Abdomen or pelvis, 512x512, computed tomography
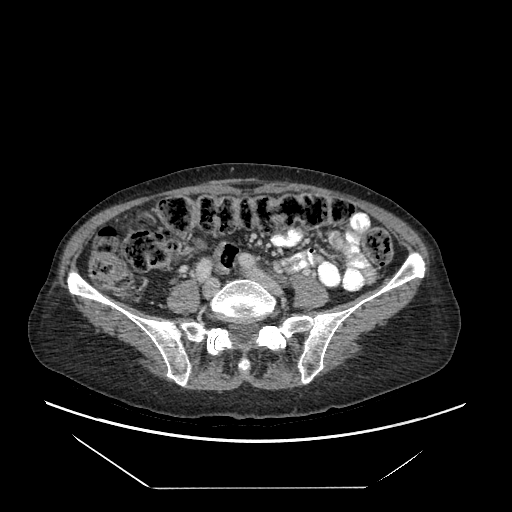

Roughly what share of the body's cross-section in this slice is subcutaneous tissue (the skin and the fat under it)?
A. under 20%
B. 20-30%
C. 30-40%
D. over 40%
C. 30-40%
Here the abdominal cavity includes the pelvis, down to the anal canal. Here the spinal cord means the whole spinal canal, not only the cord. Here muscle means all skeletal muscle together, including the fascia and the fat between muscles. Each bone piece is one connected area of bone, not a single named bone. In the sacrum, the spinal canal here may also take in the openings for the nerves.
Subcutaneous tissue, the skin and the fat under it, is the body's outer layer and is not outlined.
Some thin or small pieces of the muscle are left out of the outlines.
The abdominal cavity is outlined by 285,191 358,207 407,251 376,287 332,307 318,310 326,288 294,274 301,311 276,324 275,297 235,278 209,301 207,328 191,315 201,307 191,280 166,297 182,316 165,318 106,296 78,271 100,226 132,207. The muscle appears in 5 outlined pieces: piece 1: 229,178 257,178 266,181 309,184 349,194 381,207 404,221 422,239 430,254 429,274 422,280 416,294 405,307 361,335 359,339 363,347 356,355 315,378 324,368 325,354 334,334 352,313 383,293 425,276 426,261 418,251 412,250 408,253 382,222 360,207 332,195 309,191 285,190 257,194 178,193 132,206 99,226 80,254 77,269 71,268 67,272 65,282 70,294 109,306 143,331 158,350 166,367 166,377 177,385 163,380 133,362 140,354 137,349 95,327 75,307 70,295 60,287 57,281 61,256 72,235 86,221 104,209 142,196 210,180; piece 2: 303,332 307,335 296,363 302,386 263,389 243,382 230,390 183,388 192,372 183,335 195,343 205,340 206,351 213,356 224,349 238,350 241,356 237,367 247,372 251,367 247,356 250,350 284,349 287,339; piece 3: 298,274 313,277 325,288 328,294 328,300 316,309 318,311 332,308 373,290 393,275 378,290 347,308 333,312 319,312 315,315 310,315 304,313 299,314 298,313 302,310 293,306 294,290 290,285 290,278; piece 4: 184,281 191,281 197,286 199,290 200,307 195,313 192,313 190,315 194,319 181,321 177,325 174,320 169,319 172,319 176,317 182,317 183,315 179,313 175,313 167,307 166,305 167,304 167,297 173,287; piece 5: 110,299 112,299 115,300 118,302 121,302 126,305 128,305 146,314 154,315 155,316 159,316 163,318 161,319 154,319 153,318 146,318 145,317 140,316 137,314 135,314 127,310 125,308 120,306 114,302 111,299. The spinal cord is outlined by 244,322 246,322 247,323 257,323 260,326 256,334 256,336 253,339 250,340 247,344 245,345 241,345 232,340 231,338 231,334 228,328 230,324 232,323 235,323 236,324 240,324. The bones are outlined by 412,251 425,261 424,276 352,312 328,343 323,368 305,385 297,367 308,335 303,331 284,348 250,349 247,371 238,367 238,349 213,355 205,339 183,334 191,372 182,387 167,377 143,330 109,305 70,293 66,282 75,269 135,315 177,326 201,320 208,329 216,322 215,294 229,281 251,279 274,297 267,320 277,325 292,315 353,306 385,285 with a hole at 244,322 246,322 247,323 257,323 260,326 256,334 256,336 253,339 250,340 247,344 245,345 241,345 232,340 231,338 231,334 228,328 230,324 232,323 235,323 236,324 240,324. The torso is outlined by 224,162 278,164 337,175 390,198 415,217 438,244 460,309 461,328 448,363 427,377 355,404 303,416 261,419 184,418 157,413 89,389 42,365 29,345 28,316 47,277 54,252 74,222 120,189 177,170.